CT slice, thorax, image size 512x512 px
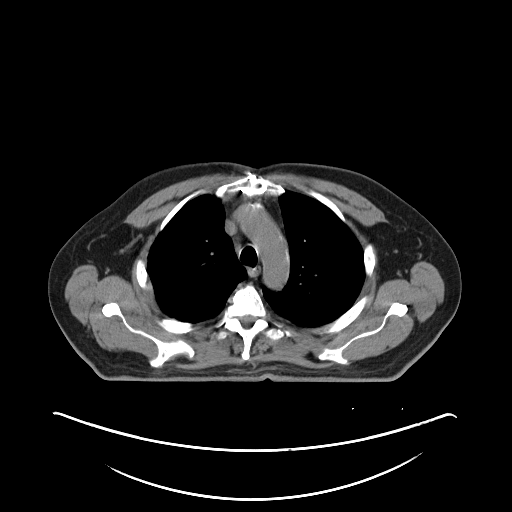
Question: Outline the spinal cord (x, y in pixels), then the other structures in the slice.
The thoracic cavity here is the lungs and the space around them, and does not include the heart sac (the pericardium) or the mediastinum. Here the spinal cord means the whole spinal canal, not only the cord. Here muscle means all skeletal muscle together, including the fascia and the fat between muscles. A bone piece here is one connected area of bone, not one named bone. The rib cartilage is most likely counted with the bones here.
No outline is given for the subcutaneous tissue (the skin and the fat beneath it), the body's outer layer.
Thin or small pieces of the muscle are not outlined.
Answer: Outlined structures:
spinal cord: 245 315; 251 315; 252 316; 253 316; 254 317; 255 317; 255 320; 253 322; 253 323; 249 327; 244 327; 241 324; 241 322; 240 321; 240 318; 241 317; 242 317; 243 316; 244 316
bones 1: 239 283; 243 285; 252 283; 272 316; 285 326; 293 328; 298 334; 273 340; 262 331; 259 332; 252 339; 247 360; 241 357; 244 343; 238 333; 230 331; 225 338; 217 339; 215 333; 218 329; 214 324; 222 315; 228 304; 228 298, around a hole outlined by 245 315; 251 315; 252 316; 253 316; 254 317; 255 317; 255 320; 253 322; 253 323; 249 327; 244 327; 241 324; 241 322; 240 321; 240 318; 241 317; 242 317; 243 316; 244 316
bones 2: 109 302; 118 304; 126 321; 133 328; 142 330; 162 341; 182 339; 193 348; 193 356; 189 358; 185 353; 180 353; 171 356; 159 367; 150 366; 149 360; 157 355; 156 344; 151 339; 130 331; 118 315; 105 316; 102 312; 102 307
bones 3: 247 172; 254 173; 258 176; 261 175; 263 177; 275 183; 280 184; 285 189; 285 191; 278 196; 274 196; 266 193; 263 193; 259 195; 248 196; 239 191; 223 199; 221 199; 217 197; 212 192; 221 185; 232 182; 237 179; 241 178
bones 4: 393 302; 405 304; 407 306; 407 311; 405 314; 402 316; 391 314; 379 331; 352 341; 342 351; 342 355; 349 362; 348 364; 341 364; 328 359; 321 360; 317 357; 317 354; 325 347; 339 347; 352 337; 376 328; 382 322; 384 315
bones 5: 364 295; 366 295; 368 297; 368 299; 363 309; 360 312; 358 316; 346 327; 340 330; 338 332; 332 332; 331 333; 318 333; 314 331; 314 329; 316 327; 319 327; 330 322; 332 322; 338 318; 342 314; 347 311; 358 299
bones 6: 165 317; 174 318; 176 320; 178 320; 182 322; 189 322; 190 323; 192 323; 193 324; 194 329; 186 333; 173 333; 172 332; 167 331; 161 326; 160 326; 157 323; 157 320; 158 319; 160 319; 161 318; 164 318
bones 7: 298 186; 302 186; 308 189; 312 189; 329 198; 338 207; 338 208; 341 211; 341 212; 343 214; 343 215; 345 217; 347 221; 347 224; 343 221; 342 221; 340 219; 340 218; 326 205; 325 205; 317 199; 306 194; 300 188; 299 188
bones 8: 199 189; 204 189; 206 192; 205 193; 197 195; 187 201; 176 212; 176 213; 171 218; 171 219; 165 225; 163 229; 158 232; 158 228; 161 222; 167 215; 167 214; 172 209; 172 208; 183 198; 189 194; 192 193; 194 191; 198 190
bones 9: 369 242; 370 242; 373 245; 373 247; 375 251; 375 254; 376 255; 376 262; 375 263; 375 265; 374 266; 374 268; 371 275; 370 276; 366 276; 365 274; 365 269; 364 268; 364 255; 363 254; 363 248; 365 246; 365 245
bones 10: 138 258; 141 259; 145 264; 145 268; 146 269; 147 275; 148 276; 148 279; 147 280; 147 283; 146 284; 145 288; 142 288; 139 285; 137 278; 136 277; 136 274; 135 273; 135 267; 136 266; 135 262; 136 261; 136 259
torso: 214 160; 254 167; 288 161; 326 164; 358 171; 388 187; 432 223; 457 258; 461 297; 451 321; 425 353; 388 382; 274 382; 268 378; 259 382; 149 382; 101 378; 76 353; 52 314; 48 274; 55 255; 87 220; 143 177; 174 165
mediastinum: 239 192; 248 197; 259 196; 263 194; 277 197; 289 252; 288 277; 285 285; 280 291; 271 291; 263 285; 261 287; 262 296; 252 282; 243 284; 241 283; 246 279; 247 272; 238 261; 232 240; 224 229; 225 209; 222 202; 222 200
muscle 1: 218 172; 245 174; 211 192; 199 188; 183 197; 160 222; 147 252; 146 266; 139 257; 136 258; 134 262; 138 285; 145 289; 148 280; 150 282; 155 302; 167 316; 156 320; 167 332; 186 334; 195 329; 195 323; 220 316; 213 324; 217 329; 215 338; 223 340; 230 332; 238 334; 243 343; 240 353; 243 361; 250 358; 253 339; 261 332; 273 341; 299 334; 272 314; 296 326; 314 328; 318 334; 338 333; 359 316; 369 299; 366 294; 358 297; 377 262; 374 245; 377 273; 382 279; 405 278; 419 261; 432 264; 444 282; 443 302; 397 346; 342 368; 309 368; 284 361; 267 361; 256 365; 157 370; 152 368; 161 367; 176 355; 185 354; 191 359; 194 348; 182 338; 162 340; 133 327; 116 301; 104 303; 102 314; 107 318; 118 316; 130 332; 151 340; 156 346; 156 355; 148 360; 149 366; 140 353; 102 348; 71 313; 64 297; 72 272; 80 265; 93 264; 103 276; 128 277; 143 243; 137 229; 123 222; 126 216; 164 187; inner edge: 393 302; 405 304; 407 306; 407 311; 405 314; 402 316; 391 314; 379 331; 352 341; 342 351; 342 355; 349 362; 348 364; 341 364; 328 359; 321 360; 317 357; 317 354; 325 347; 339 347; 352 337; 376 328; 382 322; 384 315
muscle 2: 271 172; 291 172; 341 184; 356 191; 372 202; 383 212; 388 222; 378 222; 369 227; 367 234; 371 242; 367 242; 362 247; 358 238; 348 225; 346 217; 329 197; 302 185; 298 185; 297 187; 304 193; 287 189; 280 183; 255 173
thoracic cavity 1: 286 189; 305 194; 326 206; 349 227; 362 248; 365 278; 357 299; 338 317; 332 321; 315 327; 296 325; 287 319; 272 313; 262 297; 263 286; 271 292; 280 292; 286 285; 289 277; 289 244; 282 210; 278 199; 278 197; 282 195
thoracic cavity 2: 207 193; 211 193; 221 200; 224 209; 223 229; 231 240; 237 261; 245 269; 246 277; 236 285; 227 298; 227 304; 220 315; 211 319; 193 323; 170 317; 160 309; 156 302; 146 267; 148 252; 158 233; 164 229; 187 202; 197 196